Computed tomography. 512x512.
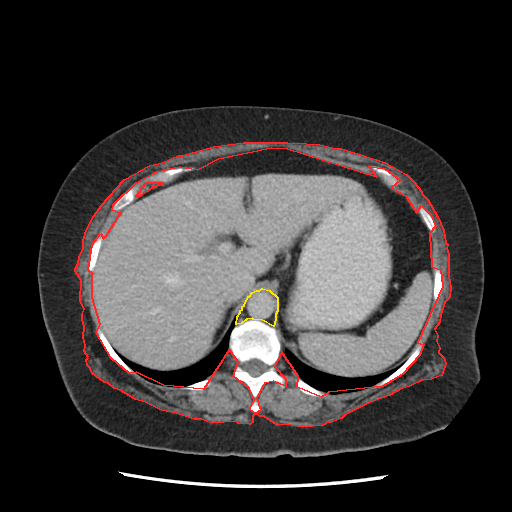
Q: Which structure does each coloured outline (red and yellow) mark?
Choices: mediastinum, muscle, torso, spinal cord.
A: red: muscle; yellow: mediastinum.
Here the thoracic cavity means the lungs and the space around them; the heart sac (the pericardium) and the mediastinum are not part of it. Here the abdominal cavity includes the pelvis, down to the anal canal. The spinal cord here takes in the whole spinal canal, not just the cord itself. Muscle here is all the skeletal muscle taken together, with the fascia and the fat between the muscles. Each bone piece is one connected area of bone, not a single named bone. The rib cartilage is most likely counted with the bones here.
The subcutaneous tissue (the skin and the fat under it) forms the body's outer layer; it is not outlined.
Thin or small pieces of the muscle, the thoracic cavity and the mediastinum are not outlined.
Outlines (x, y in pixels):
muscle 1: (243, 142) (286, 142) (287, 143) (293, 142) (319, 144) (335, 148) (341, 148) (385, 162) (406, 174) (413, 181) (421, 191) (421, 193) (427, 199) (437, 216) (443, 230) (445, 242) (447, 244) (446, 248) (448, 254) (448, 275) (450, 287) (449, 297) (444, 302) (440, 314) (439, 322) (434, 329) (437, 335) (436, 341) (439, 347) (438, 352) (443, 357) (445, 363) (441, 375) (431, 379) (422, 380) (409, 386) (401, 388) (389, 395) (370, 402) (344, 415) (341, 418) (331, 422) (327, 422) (322, 425) (302, 427) (286, 424) (277, 425) (264, 416) (260, 416) (257, 414) (254, 414) (252, 416) (252, 422) (249, 424) (238, 423) (235, 421) (211, 423) (201, 419) (194, 419) (176, 413) (161, 410) (145, 402) (135, 399) (120, 390) (114, 388) (108, 383) (104, 382) (92, 373) (90, 368) (87, 365) (86, 359) (88, 357) (84, 351) (85, 345) (83, 337) (84, 326) (82, 319) (82, 313) (84, 309) (80, 300) (81, 280) (75, 271) (75, 268) (78, 263) (79, 256) (83, 249) (83, 240) (86, 230) (94, 215) (101, 205) (124, 179) (149, 165) (162, 162) (178, 155) (182, 155) (213, 146), around a hole outlined by (271, 147) (287, 148) (376, 176) (369, 166) (384, 168) (400, 180) (391, 187) (405, 195) (416, 212) (421, 205) (430, 214) (435, 226) (429, 233) (431, 266) (440, 269) (442, 286) (417, 342) (423, 344) (419, 355) (402, 374) (382, 386) (328, 392) (321, 397) (297, 387) (298, 376) (281, 351) (274, 366) (285, 378) (285, 386) (273, 381) (264, 383) (256, 397) (260, 410) (255, 413) (249, 409) (254, 400) (249, 388) (233, 376) (238, 362) (229, 349) (203, 389) (163, 385) (136, 372) (129, 373) (111, 358) (96, 332) (100, 324) (92, 297) (92, 273) (88, 270) (92, 244) (100, 233) (103, 238) (106, 235) (120, 213) (112, 210) (113, 204) (136, 182) (156, 171) (180, 166) (197, 169) (218, 158)
muscle 2: (147, 182) (160, 182) (161, 183) (163, 183) (162, 183) (161, 184) (159, 184) (158, 185) (157, 185) (155, 187) (152, 187) (147, 191) (144, 192) (139, 196) (136, 197) (136, 195) (140, 191) (140, 190) (141, 189) (142, 186) (143, 186) (144, 185) (144, 184)
mediastinum: (262, 288) (269, 290) (277, 297) (277, 311) (275, 314) (275, 319) (273, 326) (262, 320) (253, 319) (252, 318) (246, 319) (241, 323) (236, 324) (237, 316) (240, 312) (240, 310) (242, 309) (242, 306) (244, 305) (248, 296) (249, 296) (252, 292) (256, 290) (259, 290)
abdominal cavity: (271, 147) (378, 176) (405, 195) (419, 214) (431, 237) (433, 301) (406, 359) (363, 377) (306, 365) (289, 349) (281, 351) (274, 327) (278, 297) (263, 287) (247, 296) (219, 344) (192, 365) (160, 371) (118, 353) (96, 316) (92, 272) (120, 211) (152, 188) (215, 159)
bones 1: (249, 319) (262, 321) (275, 328) (281, 344) (281, 350) (274, 366) (286, 380) (283, 388) (273, 381) (263, 384) (256, 397) (260, 410) (255, 413) (249, 409) (254, 400) (249, 388) (243, 381) (235, 379) (233, 376) (234, 368) (238, 362) (229, 349) (231, 331) (236, 325) with a hole at (251, 359) (258, 359) (259, 360) (260, 360) (262, 362) (263, 362) (267, 366) (267, 369) (264, 372) (263, 372) (261, 374) (260, 374) (258, 376) (252, 376) (247, 371) (246, 371) (243, 368) (243, 363) (244, 363) (246, 361) (248, 361) (249, 360) (250, 360)
bones 2: (180, 166) (192, 166) (194, 167) (193, 170) (184, 172) (173, 180) (166, 183) (160, 181) (147, 181) (141, 186) (139, 191) (135, 195) (135, 198) (130, 203) (120, 210) (117, 211) (112, 210) (112, 206) (115, 201) (123, 192) (136, 182) (156, 171)
bones 3: (421, 343) (423, 344) (423, 346) (419, 355) (417, 357) (415, 361) (402, 374) (398, 376) (392, 381) (382, 386) (374, 386) (374, 385) (380, 382) (389, 375) (390, 375) (394, 371) (395, 371) (407, 359) (407, 358) (414, 349) (414, 348) (418, 344) (420, 344)
bones 4: (96, 327) (98, 327) (101, 329) (113, 349) (117, 353) (117, 354) (121, 358) (121, 359) (132, 370) (133, 370) (135, 372) (135, 374) (129, 373) (123, 368) (119, 366) (111, 358) (111, 357) (107, 353) (107, 352) (103, 347) (98, 337) (98, 335) (96, 332)
bones 5: (371, 165) (375, 165) (376, 166) (378, 166) (379, 167) (384, 168) (385, 169) (390, 171) (393, 174) (394, 174) (400, 180) (400, 183) (396, 186) (389, 186) (388, 185) (387, 185) (382, 180) (382, 179) (373, 170) (372, 170) (369, 167) (369, 166) (370, 166)
bones 6: (100, 233) (102, 233) (103, 234) (102, 235) (101, 244) (99, 248) (99, 251) (97, 254) (97, 258) (95, 262) (95, 265) (93, 268) (93, 270) (91, 272) (90, 272) (88, 270) (88, 255) (89, 254) (90, 249) (92, 246) (92, 244) (94, 242) (97, 236)
bones 7: (297, 377) (299, 377) (303, 381) (304, 381) (310, 386) (311, 386) (318, 390) (320, 390) (321, 391) (326, 392) (327, 393) (327, 395) (326, 396) (321, 397) (320, 396) (314, 396) (313, 395) (310, 395) (309, 394) (304, 393) (297, 387) (297, 386) (295, 383) (295, 379)
bones 8: (436, 268) (438, 268) (439, 269) (440, 269) (440, 270) (441, 271) (441, 273) (442, 274) (442, 286) (441, 287) (441, 293) (440, 294) (440, 296) (439, 297) (439, 298) (437, 300) (434, 300) (434, 299) (433, 298) (433, 292) (434, 291) (434, 270)
bones 9: (419, 205) (421, 205) (423, 206) (427, 210) (427, 211) (430, 214) (431, 217) (433, 219) (433, 221) (434, 222) (434, 225) (435, 226) (435, 230) (433, 232) (430, 232) (427, 226) (425, 224) (424, 221) (422, 219) (418, 211) (418, 206)
bones 10: (206, 378) (209, 378) (210, 379) (210, 383) (208, 386) (207, 386) (203, 389) (197, 389) (196, 390) (192, 390) (191, 389) (183, 389) (181, 387) (183, 386) (186, 386) (187, 385) (189, 385) (190, 384) (192, 384) (193, 383) (195, 383) (199, 381) (201, 381)
spinal cord: (251, 359) (258, 359) (259, 360) (260, 360) (262, 362) (263, 362) (267, 366) (267, 369) (264, 372) (263, 372) (261, 374) (260, 374) (258, 376) (252, 376) (247, 371) (246, 371) (243, 368) (243, 363) (244, 363) (246, 361) (248, 361) (249, 360) (250, 360)
torso: (209, 105) (306, 108) (371, 119) (425, 142) (459, 175) (474, 206) (484, 256) (484, 290) (475, 333) (480, 377) (443, 429) (407, 443) (320, 457) (219, 457) (138, 447) (98, 430) (77, 411) (62, 381) (39, 299) (38, 249) (51, 203) (72, 166) (110, 133) (162, 112)
thoracic cavity 1: (235, 318) (236, 318) (235, 324) (230, 331) (229, 335) (228, 349) (220, 367) (207, 377) (186, 385) (172, 386) (163, 385) (150, 381) (132, 369) (118, 354) (134, 364) (137, 364) (139, 366) (150, 370) (155, 370) (160, 372) (181, 370) (192, 366) (207, 357) (220, 344)
thoracic cavity 2: (285, 350) (289, 350) (300, 362) (314, 370) (317, 370) (320, 372) (333, 376) (338, 376) (344, 378) (363, 378) (368, 376) (376, 376) (392, 369) (397, 368) (380, 381) (368, 387) (354, 391) (348, 391) (340, 393) (329, 393) (310, 385) (298, 376) (287, 363) (284, 356)